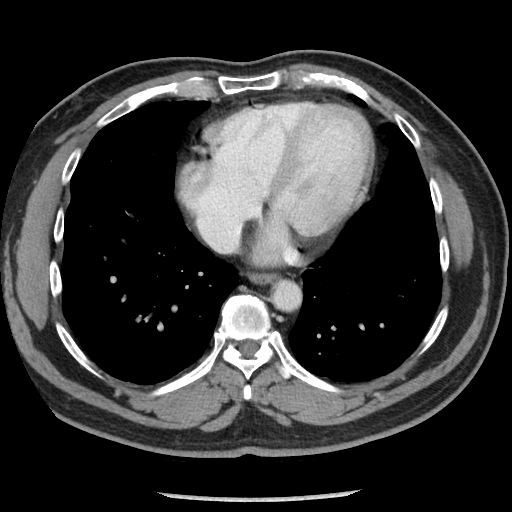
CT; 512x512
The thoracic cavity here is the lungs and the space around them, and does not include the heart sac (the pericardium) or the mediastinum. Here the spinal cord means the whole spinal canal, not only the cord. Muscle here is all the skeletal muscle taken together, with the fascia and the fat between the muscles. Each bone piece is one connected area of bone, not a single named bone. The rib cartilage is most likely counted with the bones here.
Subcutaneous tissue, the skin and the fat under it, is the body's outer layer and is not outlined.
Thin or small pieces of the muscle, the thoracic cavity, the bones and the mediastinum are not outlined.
pericardium: 293 92; 336 94; 365 112; 373 126; 377 142; 377 179; 371 189; 369 198; 347 219; 329 247; 321 254; 308 260; 305 259; 300 266; 255 268; 240 260; 217 254; 190 229; 174 198; 176 168; 192 132; 205 116; 221 107; 245 98
mediastinum 1: 204 245; 217 255; 240 261; 255 269; 300 267; 305 260; 308 261; 319 256; 311 261; 301 274; 303 300; 298 316; 286 337; 284 337; 273 327; 267 305; 258 296; 251 293; 238 293; 229 296; 239 282; 238 271; 233 264; 215 255
mediastinum 2: 303 88; 341 90; 359 98; 394 122; 386 123; 382 128; 389 155; 379 189; 370 197; 379 171; 374 126; 361 107; 331 92; 265 93; 221 106; 205 115; 191 132; 177 165; 176 151; 183 131; 188 122; 208 106; 206 100; 245 91
mediastinum 3: 182 213; 183 214; 183 217; 185 219; 185 222; 188 226; 189 229; 193 232; 193 233; 196 236; 196 237; 203 244; 202 244; 199 241; 198 241; 196 239; 194 235; 188 229; 183 219; 183 215
spinal cord: 245 339; 251 339; 252 340; 259 341; 259 347; 258 348; 258 349; 253 354; 253 356; 254 357; 253 357; 252 358; 244 358; 243 357; 242 357; 242 354; 237 348; 237 343; 238 342; 238 341; 241 341; 242 340; 244 340
torso: 296 49; 350 53; 397 73; 461 129; 489 169; 505 208; 509 255; 501 315; 479 369; 453 400; 420 423; 363 444; 317 454; 168 455; 100 437; 62 421; 24 365; 0 279; 6 198; 36 123; 79 86; 126 63; 166 56; 250 61
thoracic cavity 1: 163 99; 207 102; 187 122; 178 141; 173 198; 187 229; 215 256; 234 266; 238 282; 220 307; 219 322; 207 353; 189 370; 151 386; 105 373; 77 343; 62 312; 60 263; 65 211; 71 197; 70 181; 82 154; 101 128; 148 102
thoracic cavity 2: 394 123; 415 149; 427 179; 439 237; 439 266; 443 281; 441 300; 419 346; 399 368; 370 380; 335 384; 305 368; 290 352; 284 338; 293 328; 302 308; 303 272; 328 250; 348 219; 380 189; 390 155; 387 134; 383 128; 386 124
bones 1: 238 294; 251 294; 262 300; 272 327; 282 335; 293 357; 309 372; 343 392; 320 389; 292 375; 283 378; 274 363; 278 360; 276 355; 247 380; 220 353; 208 373; 175 390; 149 395; 154 388; 189 371; 202 360; 212 347; 223 303; inner edge: 245 339; 251 339; 252 340; 259 341; 259 347; 258 348; 258 349; 253 354; 253 356; 254 357; 253 357; 252 358; 244 358; 243 357; 242 357; 242 354; 237 348; 237 343; 238 342; 238 341; 241 341; 242 340; 244 340
bones 2: 192 76; 203 77; 205 79; 205 82; 214 89; 215 94; 213 97; 205 100; 196 100; 193 98; 174 96; 171 94; 162 94; 150 99; 102 127; 98 127; 96 125; 97 121; 104 114; 131 94; 148 87; 166 84; 173 81; 182 81
bones 3: 280 68; 284 68; 286 70; 287 72; 286 73; 287 80; 280 86; 274 89; 245 90; 241 92; 226 95; 221 91; 216 80; 216 78; 219 74; 224 74; 236 77; 249 77; 250 76; 256 76; 257 75; 265 74; 275 69; 279 69
bones 4: 301 70; 305 72; 323 72; 328 74; 335 74; 338 76; 342 76; 350 79; 366 90; 372 101; 370 105; 359 97; 351 93; 346 92; 335 87; 327 87; 318 84; 309 84; 305 85; 300 89; 295 89; 294 85; 296 82; 296 78
bones 5: 56 321; 60 322; 70 333; 79 347; 92 362; 91 363; 91 366; 102 376; 101 378; 94 375; 92 373; 88 371; 84 367; 83 367; 66 349; 66 348; 62 343; 56 331; 56 329; 55 328; 55 322
bones 6: 445 305; 447 305; 448 306; 448 315; 447 316; 446 321; 439 335; 436 338; 434 342; 423 353; 419 354; 418 353; 418 351; 420 349; 420 344; 421 343; 422 339; 431 326; 439 310; 440 310; 441 308; 442 308; 443 306
bones 7: 393 112; 397 112; 399 114; 400 114; 404 118; 405 118; 415 129; 415 130; 417 132; 419 136; 419 139; 420 140; 420 146; 419 148; 416 149; 414 147; 412 143; 401 131; 399 127; 395 123; 394 119; 393 118; 393 116; 392 115
bones 8: 77 147; 80 147; 82 150; 82 153; 81 154; 81 156; 76 165; 76 167; 71 176; 71 178; 69 182; 66 184; 63 184; 61 180; 61 176; 62 175; 62 171; 63 170; 64 165; 69 155; 71 153; 71 152; 75 148
bones 9: 52 259; 54 259; 57 262; 59 266; 60 276; 61 277; 61 285; 62 286; 61 294; 60 295; 58 295; 56 297; 53 297; 52 296; 52 294; 51 293; 51 289; 50 288; 50 282; 49 281; 49 264; 50 263; 50 261
bones 10: 431 176; 433 176; 437 181; 439 185; 441 193; 442 194; 442 210; 441 211; 441 213; 439 214; 436 214; 435 213; 435 211; 434 210; 434 206; 433 205; 433 202; 432 201; 432 198; 430 193; 430 189; 429 188; 428 180
bones 11: 443 235; 444 235; 447 238; 448 240; 448 245; 450 249; 450 261; 449 262; 449 266; 448 267; 448 269; 447 271; 445 273; 442 273; 442 271; 441 270; 441 267; 440 266; 440 253; 439 252; 439 240; 440 239; 440 237
bones 12: 59 207; 62 207; 64 210; 64 221; 63 222; 63 237; 62 238; 62 241; 61 241; 58 243; 56 243; 54 241; 54 238; 53 237; 53 227; 54 226; 54 223; 55 222; 55 218; 56 217; 56 214; 57 213; 57 210
muscle: 303 62; 359 78; 433 132; 443 167; 463 190; 473 230; 477 227; 486 240; 487 313; 461 361; 407 397; 333 425; 287 428; 248 401; 247 382; 240 414; 211 432; 136 423; 72 398; 40 375; 18 351; 6 313; 0 258; 7 233; 21 223; 30 185; 52 156; 54 139; 127 87; 183 70; 223 73; 215 80; 225 95; 215 96; 201 75; 133 92; 96 121; 100 128; 85 150; 75 147; 63 165; 60 180; 69 183; 70 197; 65 210; 56 210; 52 237; 62 242; 62 254; 59 265; 49 261; 48 281; 51 296; 60 296; 68 329; 58 320; 54 328; 70 355; 100 379; 94 363; 120 381; 155 387; 151 397; 208 374; 220 354; 247 381; 276 356; 273 363; 283 379; 292 376; 341 394; 337 385; 389 375; 419 347; 421 355; 435 342; 449 315; 447 304; 439 309; 451 249; 438 233; 443 194; 435 177; 425 175; 416 150; 420 136; 397 111; 393 121; 373 107; 367 90; 345 76; 301 69; 294 89; 278 88; 288 72; 276 68